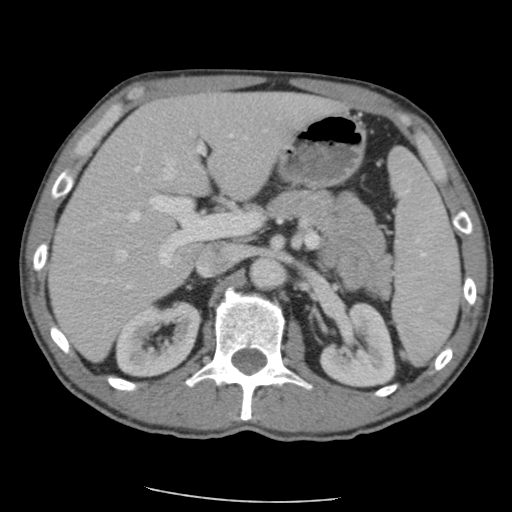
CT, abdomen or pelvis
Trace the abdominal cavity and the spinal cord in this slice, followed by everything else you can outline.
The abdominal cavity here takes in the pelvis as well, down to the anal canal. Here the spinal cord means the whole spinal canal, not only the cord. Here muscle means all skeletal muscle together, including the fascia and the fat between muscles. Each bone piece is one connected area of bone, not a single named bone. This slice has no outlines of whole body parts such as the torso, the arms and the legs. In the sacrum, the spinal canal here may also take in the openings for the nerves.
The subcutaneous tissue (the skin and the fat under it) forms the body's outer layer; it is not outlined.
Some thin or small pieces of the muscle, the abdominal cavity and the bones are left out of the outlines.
Outlines:
abdominal cavity: [[278,80],[389,118],[417,148],[462,243],[465,300],[455,333],[412,381],[355,390],[310,369],[298,327],[291,321],[285,331],[277,300],[232,290],[215,307],[201,348],[179,368],[151,381],[94,373],[54,324],[43,285],[52,220],[74,176],[143,100]]
spinal cord: [[246,348],[248,348],[249,349],[256,349],[258,350],[263,355],[264,355],[266,359],[266,362],[265,364],[257,371],[251,374],[246,374],[242,372],[232,363],[232,357],[233,355],[236,352],[242,349],[245,349]]
bones 1: [[232,291],[256,293],[277,301],[285,320],[281,344],[283,362],[313,386],[306,389],[290,382],[280,386],[257,386],[252,395],[251,418],[248,420],[239,418],[243,393],[239,384],[217,386],[211,378],[192,387],[184,383],[212,358],[215,309],[226,292]], around a hole outlined by [[246,348],[248,348],[249,349],[256,349],[258,350],[263,355],[264,355],[266,359],[266,362],[265,364],[257,371],[251,374],[246,374],[242,372],[232,363],[232,357],[233,355],[236,352],[242,349],[245,349]]
bones 2: [[117,102],[122,103],[122,107],[123,108],[123,113],[122,115],[100,138],[97,143],[91,149],[87,155],[85,156],[78,156],[77,155],[75,155],[73,152],[73,148],[75,146],[76,143],[81,138],[81,137],[94,125],[105,111],[112,104]]
bones 3: [[418,131],[422,131],[428,136],[433,145],[436,148],[438,153],[440,155],[442,162],[446,170],[446,174],[447,175],[447,179],[446,181],[438,181],[436,180],[432,174],[432,172],[430,170],[424,158],[420,153],[416,145],[416,142],[414,137],[415,133]]
bones 4: [[65,169],[68,169],[69,170],[69,172],[73,176],[73,184],[72,185],[71,188],[69,190],[69,191],[63,197],[59,197],[56,199],[54,199],[51,196],[51,188],[52,187],[52,186],[53,185],[56,178],[58,176],[58,175],[63,170],[64,170]]
bones 5: [[460,210],[464,210],[468,214],[468,215],[471,220],[471,222],[472,223],[472,232],[469,234],[465,234],[464,233],[463,233],[462,232],[459,231],[457,229],[456,229],[456,228],[452,223],[452,217],[454,215],[455,215],[458,212],[458,211],[459,211]]
bones 6: [[108,375],[113,375],[117,377],[120,377],[121,378],[123,378],[126,380],[128,380],[132,382],[135,382],[138,384],[138,386],[134,390],[132,390],[131,391],[128,391],[127,390],[120,390],[119,389],[114,388],[112,387],[108,383],[107,381],[107,376]]
bones 7: [[52,325],[55,325],[67,339],[67,340],[69,343],[69,345],[70,346],[70,351],[68,353],[65,353],[61,349],[60,349],[60,348],[53,341],[53,340],[51,338],[51,336],[50,335],[50,331],[49,330],[49,329]]
bones 8: [[447,346],[449,346],[452,349],[452,357],[451,358],[451,359],[444,367],[443,367],[441,369],[440,369],[439,370],[435,370],[435,369],[434,368],[434,360],[435,359],[435,358],[440,353],[440,352],[441,352],[442,351],[442,350],[443,350]]
muscle: [[219,74],[257,75],[277,78],[304,77],[347,83],[365,87],[389,97],[397,102],[404,109],[413,112],[424,119],[438,136],[447,150],[467,188],[475,206],[482,227],[487,259],[486,290],[483,296],[482,314],[479,318],[479,323],[475,330],[468,349],[461,361],[452,373],[435,391],[412,406],[374,422],[351,429],[332,432],[314,433],[303,431],[296,432],[280,431],[248,422],[235,424],[224,429],[212,430],[196,430],[182,427],[153,424],[132,418],[110,407],[103,401],[78,387],[62,371],[48,349],[39,332],[30,309],[26,285],[25,246],[33,214],[40,198],[42,190],[62,149],[80,125],[105,101],[121,89],[135,81],[153,77],[171,77],[180,75],[218,75]]; inner edges: [[278,80],[389,118],[414,146],[422,131],[436,148],[450,213],[464,210],[472,223],[471,233],[457,233],[476,300],[463,301],[451,359],[375,396],[310,369],[291,321],[282,359],[313,387],[257,386],[242,420],[239,384],[184,383],[213,356],[210,322],[179,368],[131,391],[112,387],[50,335],[44,269],[33,269],[33,255],[63,199],[51,196],[56,178],[76,175],[87,156],[73,148],[114,103],[124,114],[173,93]], then [[140,87],[142,87],[143,88],[143,90],[142,91],[142,92],[141,93],[140,93],[137,96],[136,96],[135,97],[134,97],[133,98],[132,98],[131,99],[128,99],[126,97],[126,96],[127,95],[127,94],[131,90],[132,90],[134,88],[139,88]], then [[401,114],[404,114],[405,115],[406,115],[407,116],[408,116],[409,117],[409,118],[410,119],[410,121],[411,122],[411,123],[409,125],[406,125],[404,123],[403,123],[400,120],[400,118],[399,117],[400,116],[400,115]]